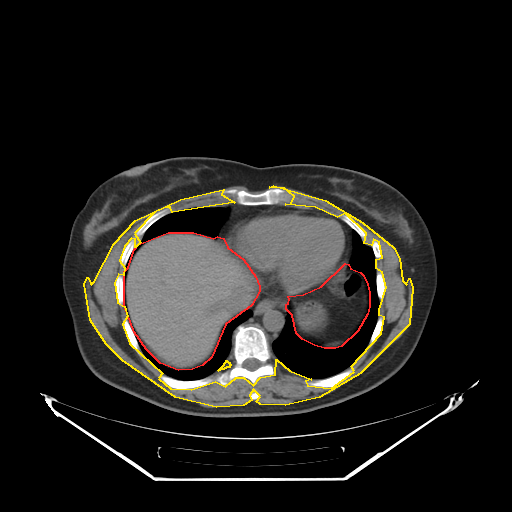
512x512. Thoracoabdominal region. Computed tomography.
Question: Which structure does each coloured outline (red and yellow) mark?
Answer: red: abdominal cavity; yellow: muscle.
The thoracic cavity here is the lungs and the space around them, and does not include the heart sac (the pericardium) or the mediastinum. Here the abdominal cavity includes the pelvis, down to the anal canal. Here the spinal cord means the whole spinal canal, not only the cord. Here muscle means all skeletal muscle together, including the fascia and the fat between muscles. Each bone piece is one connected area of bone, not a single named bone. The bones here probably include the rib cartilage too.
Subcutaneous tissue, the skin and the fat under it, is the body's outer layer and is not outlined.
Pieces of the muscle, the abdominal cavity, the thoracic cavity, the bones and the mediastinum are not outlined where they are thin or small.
Outlined structures:
abdominal cavity 1: [[168,232],[193,232],[213,238],[217,236],[223,238],[227,247],[243,259],[255,276],[259,286],[259,291],[251,305],[225,324],[211,357],[202,365],[192,369],[178,370],[160,363],[146,349],[134,332],[124,305],[124,271],[128,267],[134,249],[138,244]]
abdominal cavity 2: [[345,263],[348,264],[350,268],[360,272],[363,275],[367,284],[369,292],[369,306],[367,314],[357,331],[341,346],[335,348],[324,348],[314,345],[302,339],[296,333],[292,315],[286,309],[286,304],[288,303],[289,299],[288,296],[303,294],[321,286]]
muscle 1: [[273,185],[325,200],[362,222],[393,247],[399,258],[402,280],[406,284],[409,278],[412,287],[409,324],[360,373],[319,397],[285,405],[260,404],[256,401],[260,396],[253,389],[249,395],[251,400],[243,405],[216,407],[175,397],[122,360],[106,344],[90,320],[84,284],[87,277],[91,284],[94,281],[114,243],[135,220],[180,199],[223,189],[221,194],[234,202],[172,212],[170,207],[165,207],[154,212],[134,233],[140,242],[135,247],[135,239],[131,238],[124,246],[119,260],[124,267],[123,275],[118,274],[114,282],[117,302],[124,306],[127,316],[122,324],[129,343],[162,373],[158,378],[170,388],[191,389],[215,381],[225,386],[236,377],[243,377],[253,385],[260,377],[275,374],[276,359],[289,370],[311,379],[305,381],[307,385],[331,388],[354,371],[351,366],[381,333],[384,317],[379,315],[379,309],[386,287],[382,272],[376,268],[376,259],[382,257],[379,242],[373,239],[371,245],[364,243],[366,233],[345,213],[337,217],[315,207],[285,204],[291,203],[294,196],[284,188],[269,187]]
muscle 2: [[226,360],[228,362],[229,362],[229,363],[230,364],[230,365],[229,366],[229,367],[226,367],[225,368],[224,368],[223,369],[220,369],[219,370],[218,370],[224,364],[224,363],[226,361]]
bones 1: [[240,324],[257,326],[264,331],[275,357],[274,374],[262,375],[253,384],[243,376],[236,376],[225,385],[215,380],[205,385],[184,389],[170,387],[159,378],[159,375],[163,374],[177,380],[192,381],[229,368],[231,364],[227,359],[232,352],[233,332]], around a hole outlined by [[251,358],[254,358],[255,359],[257,359],[261,363],[261,364],[256,369],[255,369],[254,370],[249,370],[248,369],[247,369],[246,368],[245,368],[243,366],[243,362],[246,359],[250,359]]
bones 2: [[277,187],[278,188],[284,189],[293,196],[293,199],[291,202],[285,203],[284,204],[243,205],[235,202],[230,198],[225,197],[222,194],[223,190],[227,188],[235,188],[238,190],[244,190],[251,193],[259,193],[264,191],[266,189],[269,188],[276,188]]
bones 3: [[350,367],[353,367],[354,368],[353,371],[344,380],[336,384],[334,386],[332,386],[331,387],[312,386],[306,383],[306,381],[308,380],[311,380],[312,379],[324,379],[325,378],[327,378],[328,377],[333,376],[338,373],[340,373],[344,371],[346,369]]
bones 4: [[165,208],[170,208],[171,209],[171,212],[166,214],[164,216],[161,217],[159,219],[155,221],[143,233],[141,237],[139,236],[135,236],[135,233],[137,231],[138,228],[144,220],[148,218],[154,213],[162,209],[164,209]]
bones 5: [[124,318],[127,318],[132,328],[132,330],[136,337],[136,339],[138,342],[138,345],[141,351],[140,352],[140,354],[138,354],[135,351],[135,350],[133,348],[132,345],[130,343],[126,335],[126,333],[124,329],[124,325],[123,324],[123,319]]
bones 6: [[340,214],[345,214],[346,215],[351,217],[356,222],[356,223],[365,233],[365,234],[366,235],[366,238],[363,238],[362,239],[362,238],[360,236],[360,235],[355,230],[354,230],[345,222],[344,222],[341,219],[340,219],[339,218],[339,215]]
bones 7: [[131,239],[134,239],[134,241],[135,242],[134,243],[134,248],[133,249],[133,250],[131,252],[125,266],[122,266],[120,263],[120,260],[121,259],[121,255],[122,254],[122,252],[123,251],[125,246],[127,244],[127,243]]
bones 8: [[118,275],[121,275],[122,276],[123,276],[123,304],[122,305],[120,305],[119,304],[119,303],[118,302],[118,300],[117,299],[117,295],[116,294],[116,289],[115,288],[115,282],[116,281],[116,278],[117,277],[117,276]]
bones 9: [[377,271],[379,271],[381,272],[382,274],[382,276],[383,277],[383,280],[384,281],[384,286],[385,287],[385,291],[384,292],[384,295],[383,296],[383,298],[382,300],[379,300],[378,298],[378,296],[377,295],[377,287],[376,286],[376,274],[377,273]]
bones 10: [[379,316],[382,316],[383,317],[383,323],[382,324],[382,327],[381,328],[380,333],[377,339],[375,341],[375,342],[371,346],[369,346],[368,345],[368,343],[370,340],[371,335],[376,325],[376,323],[377,322],[377,320]]
bones 11: [[373,240],[376,240],[378,242],[378,243],[380,245],[380,247],[381,248],[381,257],[380,258],[376,258],[375,257],[375,255],[374,254],[374,253],[373,252],[373,249],[372,248],[372,247],[371,246],[372,245],[372,241]]
torso: [[178,156],[217,157],[257,167],[332,165],[372,175],[399,190],[424,220],[437,263],[431,309],[405,364],[380,385],[343,402],[297,414],[251,417],[208,417],[172,411],[95,376],[79,353],[62,290],[62,262],[72,223],[92,191],[106,179],[136,165]]
thoracic cavity 1: [[353,230],[364,244],[371,247],[375,258],[378,316],[366,346],[349,367],[324,378],[306,377],[282,364],[271,346],[284,328],[287,312],[291,315],[295,333],[302,340],[324,349],[341,347],[362,326],[369,311],[370,292],[364,275],[349,266],[353,251]]
thoracic cavity 2: [[207,206],[221,206],[225,207],[228,210],[225,219],[219,228],[216,237],[213,237],[211,235],[208,235],[205,233],[200,233],[193,231],[168,231],[164,233],[154,235],[143,242],[141,241],[141,238],[144,233],[155,222],[166,215],[187,208],[206,207]]
thoracic cavity 3: [[248,309],[251,310],[252,314],[250,317],[234,328],[232,332],[231,352],[223,364],[213,373],[198,379],[183,380],[164,374],[143,353],[136,336],[145,349],[160,364],[167,368],[178,371],[192,370],[202,366],[212,357],[216,351],[222,331],[226,324]]
mediastinum 1: [[260,290],[269,296],[285,295],[288,298],[287,303],[285,304],[286,310],[285,323],[279,335],[271,343],[271,345],[269,343],[268,337],[265,331],[261,327],[257,325],[243,323],[252,316],[253,312],[250,308],[248,308],[252,305]]
mediastinum 2: [[232,203],[236,203],[243,206],[272,205],[265,209],[257,210],[250,215],[248,215],[236,221],[229,228],[229,229],[227,230],[224,236],[223,237],[220,237],[218,235],[220,228],[224,223],[226,219],[227,214],[229,211],[225,206],[222,206],[225,206]]
mediastinum 3: [[331,215],[335,216],[352,229],[352,251],[351,252],[351,255],[349,258],[348,263],[346,263],[346,258],[348,255],[348,234],[346,231],[346,228],[344,227],[342,223],[340,222],[339,220],[336,219],[335,217]]
spinal cord: [[251,358],[254,358],[255,359],[257,359],[261,363],[261,364],[256,369],[255,369],[254,370],[249,370],[248,369],[247,369],[246,368],[245,368],[243,366],[243,362],[246,359],[250,359]]
pericardium: [[273,205],[295,205],[319,210],[335,218],[345,228],[347,234],[347,255],[345,262],[321,285],[296,295],[269,295],[260,289],[258,281],[256,280],[256,276],[248,267],[244,259],[228,247],[224,237],[228,230],[236,222],[250,216],[257,211],[265,210]]